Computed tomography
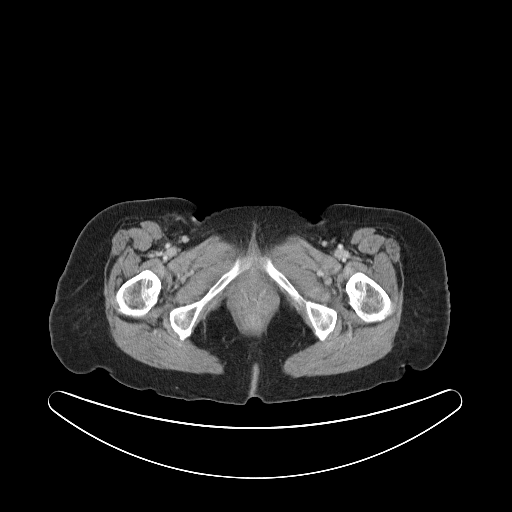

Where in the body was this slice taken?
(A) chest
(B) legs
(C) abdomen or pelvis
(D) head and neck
(C) abdomen or pelvis
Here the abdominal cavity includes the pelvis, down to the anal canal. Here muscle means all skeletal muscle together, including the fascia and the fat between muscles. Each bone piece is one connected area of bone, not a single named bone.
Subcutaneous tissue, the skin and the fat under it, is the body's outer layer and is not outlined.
Outlines:
abdominal cavity: 250 276; 256 276; 265 281; 269 286; 271 292; 274 295; 272 303; 269 308; 269 315; 266 317; 264 326; 261 331; 259 332; 251 332; 242 328; 240 324; 238 323; 236 314; 234 312; 232 306; 230 305; 230 294; 232 290; 242 280
muscle: 139 220; 156 221; 167 238; 179 245; 194 246; 219 235; 241 248; 256 245; 262 250; 293 235; 322 251; 360 227; 393 231; 400 246; 404 299; 391 351; 373 363; 343 373; 298 378; 286 375; 281 369; 284 360; 313 339; 288 297; 278 289; 279 310; 266 334; 257 339; 241 335; 224 299; 195 329; 193 341; 225 362; 223 374; 160 369; 134 359; 110 334; 103 273; 115 232; 121 225 with holes at 250 276; 256 276; 265 281; 269 286; 271 292; 274 295; 272 303; 269 308; 269 315; 266 317; 264 326; 261 331; 259 332; 251 332; 242 328; 240 324; 238 323; 236 314; 234 312; 232 306; 230 305; 230 294; 232 290; 242 280 and at 356 272; 362 272; 373 279; 383 288; 383 289; 389 296; 392 303; 393 312; 387 316; 383 320; 381 321; 377 321; 376 322; 372 322; 371 323; 366 323; 358 316; 356 312; 349 304; 348 302; 348 296; 345 292; 345 284; 349 277 and at 145 269; 149 269; 151 270; 158 276; 161 281; 162 287; 158 296; 157 302; 142 317; 135 318; 131 316; 127 316; 126 315; 121 314; 116 310; 116 308; 118 306; 115 301; 115 294; 117 290; 127 279; 132 277; 142 270; 144 270 and at 243 257; 249 257; 251 259; 249 267; 232 279; 223 289; 217 293; 203 307; 198 315; 191 334; 183 340; 179 339; 178 335; 173 330; 170 324; 169 320; 169 312; 170 310; 178 306; 198 301; 217 280; 232 266; 237 258; 242 258 and at 262 256; 269 258; 273 265; 288 279; 296 290; 306 300; 324 304; 333 308; 336 311; 337 318; 335 326; 333 330; 324 340; 320 340; 315 335; 314 330; 307 316; 305 306; 303 304; 299 304; 296 302; 262 268; 259 261; 260 257
torso: 169 196; 195 203; 198 219; 245 203; 286 204; 313 221; 334 203; 416 216; 445 257; 450 321; 440 355; 367 390; 276 403; 251 397; 243 405; 131 388; 102 368; 68 370; 51 347; 48 317; 77 236; 109 205
bones 1: 356 272; 362 272; 373 279; 383 288; 383 289; 389 296; 392 303; 393 312; 387 316; 383 320; 381 321; 377 321; 376 322; 372 322; 371 323; 366 323; 358 316; 356 312; 349 304; 348 302; 348 296; 345 292; 345 284; 349 277
bones 2: 145 269; 149 269; 151 270; 158 276; 161 281; 162 287; 158 296; 157 302; 142 317; 135 318; 131 316; 127 316; 126 315; 121 314; 116 310; 116 308; 118 306; 115 301; 115 294; 117 290; 127 279; 132 277; 142 270; 144 270
bones 3: 243 257; 249 257; 251 259; 249 267; 232 279; 223 289; 217 293; 203 307; 198 315; 191 334; 183 340; 179 339; 178 335; 173 330; 170 324; 169 320; 169 312; 170 310; 178 306; 198 301; 217 280; 232 266; 237 258; 242 258
bones 4: 262 256; 269 258; 273 265; 288 279; 296 290; 306 300; 324 304; 333 308; 336 311; 337 318; 335 326; 333 330; 324 340; 320 340; 315 335; 314 330; 307 316; 305 306; 303 304; 299 304; 296 302; 262 268; 259 261; 260 257